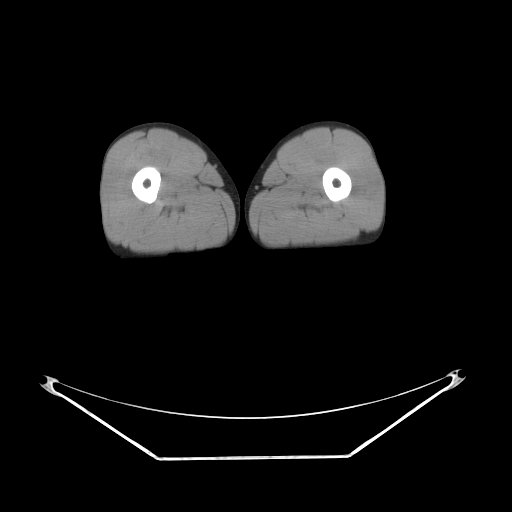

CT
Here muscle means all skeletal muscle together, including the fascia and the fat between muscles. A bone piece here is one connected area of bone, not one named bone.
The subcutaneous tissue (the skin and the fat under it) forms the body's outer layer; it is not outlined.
The right leg is outlined by 149 121; 171 122; 191 131; 203 140; 213 150; 230 174; 239 193; 240 221; 235 237; 226 247; 216 250; 205 251; 201 253; 170 255; 165 258; 137 260; 119 259; 108 248; 102 230; 98 195; 102 158; 109 143; 120 132; 133 125. The bones appear in 2 outlined pieces: piece 1: 148 165; 156 167; 158 169; 160 173; 160 176; 161 177; 160 186; 158 190; 158 193; 157 194; 156 199; 152 203; 146 203; 139 200; 134 195; 131 189; 131 181; 134 174; 140 168; 144 166; 147 166; piece 2: 330 166; 337 166; 343 169; 350 176; 350 178; 351 179; 351 190; 349 194; 345 198; 341 200; 336 201; 335 202; 330 200; 328 198; 328 197; 326 195; 323 189; 323 186; 322 185; 322 175; 323 174; 323 172; 328 167. The muscle appears in 2 outlined pieces: piece 1: 151 126; 162 126; 197 142; 216 164; 225 182; 227 192; 232 199; 235 208; 234 230; 223 243; 204 248; 172 252; 138 253; 137 254; 130 254; 115 245; 110 244; 104 228; 101 208; 103 169; 107 155; 111 147; 121 137; 135 130 with a hole at 148 165; 156 167; 158 169; 160 173; 160 176; 161 177; 160 186; 158 190; 158 193; 157 194; 156 199; 152 203; 146 203; 139 200; 134 195; 131 189; 131 181; 134 174; 140 168; 144 166; 147 166; piece 2: 318 126; 333 126; 349 129; 357 133; 368 144; 377 162; 382 178; 383 206; 382 219; 380 225; 371 235; 350 241; 309 244; 290 243; 280 246; 267 245; 263 243; 253 232; 249 221; 249 207; 253 197; 255 186; 281 144; 310 128, around a hole outlined by 330 166; 337 166; 343 169; 350 176; 350 178; 351 179; 351 190; 349 194; 345 198; 341 200; 336 201; 335 202; 330 200; 328 198; 328 197; 326 195; 323 189; 323 186; 322 185; 322 175; 323 174; 323 172; 328 167. The left leg is outlined by 328 119; 343 121; 357 127; 368 137; 375 150; 386 185; 386 217; 384 229; 381 236; 372 245; 362 247; 282 251; 266 251; 261 249; 251 239; 246 227; 244 217; 245 194; 253 175; 270 149; 286 133; 302 124; 317 120.